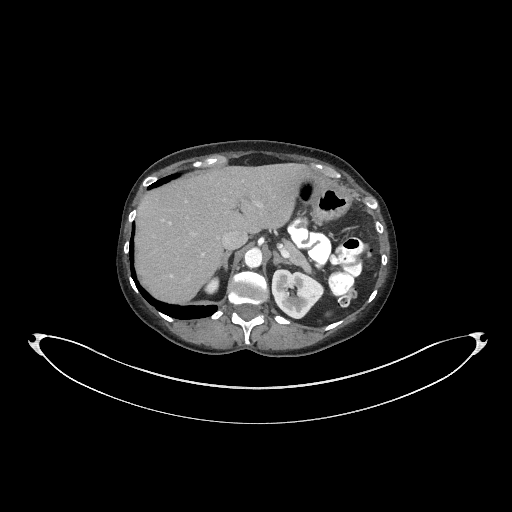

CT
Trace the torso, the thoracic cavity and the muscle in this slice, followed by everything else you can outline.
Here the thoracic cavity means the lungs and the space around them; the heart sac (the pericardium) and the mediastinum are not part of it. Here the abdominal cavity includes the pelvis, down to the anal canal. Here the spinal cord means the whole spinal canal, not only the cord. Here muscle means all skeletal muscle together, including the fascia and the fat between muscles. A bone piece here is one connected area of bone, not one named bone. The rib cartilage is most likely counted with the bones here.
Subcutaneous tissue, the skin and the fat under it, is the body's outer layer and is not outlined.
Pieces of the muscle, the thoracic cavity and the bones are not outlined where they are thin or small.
Outlines:
torso: 271,357 299,357 318,352 356,335 377,316 390,294 398,268 395,230 383,198 343,158 319,148 290,142 266,139 216,141 182,148 159,158 132,185 120,218 115,264 127,303 145,324 179,346 206,354 247,349
thoracic cavity 1: 187,319 209,316 218,307 216,305 200,305 199,306 170,305 160,302 150,296 138,283 133,267 133,234 134,233 133,222 131,226 131,236 129,240 130,249 128,255 131,275 140,293 147,301 158,310 174,318
thoracic cavity 2: 146,189 149,187 150,188 151,187 159,185 174,177 176,177 178,175 181,174 186,169 186,168 185,169 182,169 181,170 179,170 172,174 170,174 162,178 160,178 156,182 153,183 150,186 146,188
muscle 1: 273,350 314,344 357,319 373,303 385,282 390,264 388,233 379,205 374,210 368,208 374,221 378,220 384,227 384,231 378,234 379,253 388,257 387,264 380,264 378,270 374,286 378,289 376,297 370,303 366,300 340,325 327,331 323,330 324,326 304,325 292,320 290,324 277,323 268,298 262,305 265,321 252,329 250,334 249,345 245,345 243,342 240,326 230,321 230,313 235,307 227,298 219,306 224,313 216,320 205,317 175,319 170,323 160,317 153,306 132,290 128,282 128,256 122,249 127,286 149,317 165,330 190,344 217,349 235,344 251,346 255,345 260,349
muscle 2: 362,200 366,196 375,198 358,184 347,172 325,161 294,153 280,153 264,150 224,151 219,153 212,153 183,159 154,171 150,174 154,174 159,178 179,169 191,167 191,163 195,160 202,160 208,156 214,156 217,154 224,155 229,159 247,154 261,153 273,155 280,158 299,160 306,163 317,162 330,166 341,173 342,175 341,179 344,178 354,188
muscle 3: 130,210 131,210 133,208 136,208 137,207 137,202 138,201 138,199 145,189 145,188 141,185 141,183 140,184 140,185 137,190 137,192 132,201 132,203 131,204 131,206 130,207
abdominal cavity: 311,325 344,318 367,298 377,277 380,256 374,222 344,179 326,176 303,162 253,154 187,168 142,194 134,220 134,267 150,295 170,304 218,306 227,297 231,277 241,270 254,270 267,281 269,305 275,313
spinal cord: 245,320 249,320 250,319 251,319 253,317 254,317 259,312 259,307 256,305 253,305 252,304 248,304 247,303 246,303 245,304 240,304 239,305 237,305 235,308 235,310 236,311 236,312 243,319 244,319
bones 1: 245,344 249,344 251,329 264,321 261,305 268,297 268,287 264,277 248,270 236,273 228,285 228,301 231,304 235,306 247,302 260,307 260,312 249,321 243,320 234,308 231,313 231,321 240,325 243,330
bones 2: 193,167 201,167 202,166 207,166 208,165 210,165 213,163 221,163 222,162 225,162 227,160 227,159 224,156 222,156 221,155 217,155 214,157 208,157 202,161 195,161 194,162 193,162 192,163 192,166
bones 3: 336,178 340,178 341,177 341,175 340,173 339,173 334,169 330,167 328,167 327,166 324,166 321,164 318,164 317,163 310,163 310,165 312,167 316,169 318,169 320,170 326,175 328,175 331,177 335,177
bones 4: 145,187 147,187 149,185 150,185 153,182 154,182 155,181 156,181 158,179 158,178 156,176 155,176 154,175 149,175 148,176 147,176 142,181 142,185 143,186 144,186
bones 5: 373,209 374,209 375,208 376,208 377,207 377,206 378,205 378,203 377,202 377,201 375,199 374,199 373,198 369,198 368,197 366,197 364,199 364,202 365,203 365,204 368,207 369,207 370,208 372,208
bones 6: 324,330 327,330 328,329 330,329 331,328 332,328 333,327 335,327 337,325 340,324 342,322 342,319 341,319 340,320 338,320 335,322 333,322 332,323 331,323 330,324 329,324 328,325 325,326 324,327
bones 7: 212,319 216,319 217,318 218,318 223,313 223,311 222,310 221,310 220,309 218,309 214,313 213,313 210,316 210,317
bones 8: 136,293 139,293 139,292 138,291 138,290 137,289 137,288 136,287 136,286 134,283 134,281 133,280 132,277 130,275 129,276 129,282 130,283 130,284 131,285 131,286 132,287 133,290
bones 9: 367,302 370,302 375,297 375,296 376,295 376,294 377,293 377,289 374,289 371,292 371,293 370,294 370,295 368,297 368,298 367,299
bones 10: 170,322 173,321 173,320 174,319 173,318 172,318 171,317 170,317 169,316 168,316 167,315 166,315 165,314 162,313 160,311 158,311 158,313 160,315 160,316 161,316 163,318 164,318 166,320 167,320